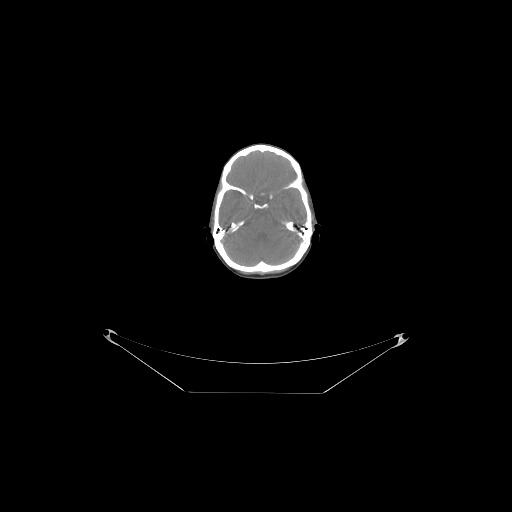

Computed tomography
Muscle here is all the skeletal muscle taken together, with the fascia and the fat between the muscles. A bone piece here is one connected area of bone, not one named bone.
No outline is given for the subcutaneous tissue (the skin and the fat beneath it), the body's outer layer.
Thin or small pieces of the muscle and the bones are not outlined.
{"head":[[[258,142],[279,146],[299,162],[313,196],[317,220],[325,225],[317,227],[324,246],[317,248],[320,255],[309,259],[289,275],[247,282],[234,277],[218,263],[210,235],[206,247],[202,247],[208,232],[202,227],[208,223],[212,196],[225,162],[238,149]]],"muscle":[[[309,196],[309,198],[310,199],[310,202],[311,203],[311,209],[312,210],[312,213],[313,214],[313,226],[313,222],[312,221],[313,220],[313,215],[312,214],[312,211],[311,210],[311,208],[310,207],[310,205],[309,204]],[[309,247],[309,248],[309,249],[308,250],[308,251],[307,252],[306,253],[305,254],[305,253],[306,252],[307,251],[308,250],[308,249],[309,248]]],"brain":[{"outer":[[257,151],[287,160],[294,177],[283,188],[298,191],[305,212],[299,226],[292,220],[282,222],[300,241],[288,258],[277,263],[262,259],[241,263],[222,241],[245,222],[231,221],[227,228],[220,223],[226,192],[255,199],[227,177],[238,158]],"hole":[[255,202],[256,203],[258,203],[259,204],[262,204],[264,202],[266,202],[268,204],[268,206],[266,208],[264,208],[263,209],[256,209],[255,208],[254,208],[254,207],[253,206],[253,204]]}],"bones":[{"outer":[[259,143],[279,147],[291,154],[299,162],[304,179],[303,185],[308,192],[308,204],[312,215],[313,227],[310,245],[299,261],[283,270],[274,270],[266,273],[243,272],[230,267],[218,253],[212,238],[215,196],[220,188],[219,180],[222,168],[238,150]],"hole":[[257,151],[287,160],[294,177],[283,188],[298,191],[305,212],[299,226],[292,220],[282,222],[300,241],[288,258],[277,263],[262,259],[241,263],[222,241],[245,222],[231,221],[227,228],[220,223],[226,192],[255,199],[227,177],[238,158]]},[[255,202],[256,203],[258,203],[259,204],[262,204],[264,202],[266,202],[268,204],[268,206],[266,208],[264,208],[263,209],[256,209],[255,208],[254,208],[254,207],[253,206],[253,204]]]}